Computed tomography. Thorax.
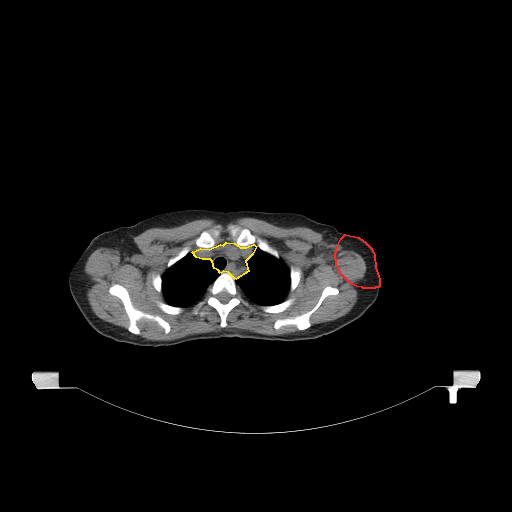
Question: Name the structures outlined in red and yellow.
Answer: red: left arm; yellow: mediastinum.
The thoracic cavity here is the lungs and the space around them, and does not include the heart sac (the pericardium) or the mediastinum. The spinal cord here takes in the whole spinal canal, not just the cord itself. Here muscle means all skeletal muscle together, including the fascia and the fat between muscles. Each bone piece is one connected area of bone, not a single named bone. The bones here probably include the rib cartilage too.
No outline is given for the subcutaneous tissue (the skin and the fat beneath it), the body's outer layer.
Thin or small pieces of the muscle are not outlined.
The left arm is outlined by [[345,234],[358,237],[364,241],[371,248],[374,255],[375,267],[379,279],[379,286],[378,287],[375,287],[374,288],[363,288],[362,287],[356,286],[350,283],[341,274],[336,263],[336,260],[335,259],[335,252],[336,251],[336,248],[341,238]]. The mediastinum is outlined by [[226,242],[234,243],[240,247],[246,247],[253,244],[256,246],[252,254],[245,261],[248,271],[235,279],[228,272],[223,271],[220,273],[218,270],[214,268],[212,261],[210,259],[202,259],[196,257],[192,252],[200,248],[209,249],[220,244],[223,245]]. The right arm is outlined by [[115,228],[116,228],[120,232],[123,239],[123,242],[124,243],[124,259],[123,260],[123,263],[118,272],[112,278],[102,282],[78,282],[70,279],[68,277],[68,275],[72,266],[82,254],[83,251],[89,242],[99,233],[101,233],[104,231],[111,230]]. The bones appear in 10 outlined pieces: piece 1: [[223,272],[233,277],[243,298],[248,303],[247,305],[240,303],[230,310],[226,317],[227,324],[225,327],[220,326],[221,319],[218,312],[207,304],[204,304],[200,308],[200,310],[204,312],[203,314],[194,314],[192,312],[192,308],[204,297],[209,286]]; inner edge: [[222,291],[225,291],[226,292],[227,292],[229,294],[230,294],[231,295],[231,297],[229,299],[229,300],[227,302],[226,302],[225,303],[224,303],[223,302],[221,302],[217,298],[217,297],[216,296],[216,295],[217,294],[218,294],[220,292],[221,292]]; piece 2: [[113,283],[120,284],[127,290],[135,308],[150,314],[158,315],[165,320],[170,326],[169,332],[165,333],[164,329],[155,321],[145,318],[138,320],[136,323],[140,330],[139,334],[130,332],[128,330],[129,318],[122,301],[109,292],[109,287]]; piece 3: [[326,286],[336,287],[338,289],[338,293],[335,295],[328,295],[322,301],[318,308],[310,315],[309,321],[311,325],[308,328],[299,330],[291,324],[283,325],[278,329],[274,328],[274,323],[277,319],[300,315],[310,310],[316,304],[321,295],[322,290]]; piece 4: [[229,225],[237,225],[241,228],[247,228],[249,229],[253,234],[265,240],[270,246],[273,247],[277,251],[279,257],[276,257],[262,250],[257,246],[256,243],[249,244],[246,246],[240,246],[236,244],[234,238],[229,233],[228,230],[228,226]]; piece 5: [[217,226],[219,226],[219,227],[220,228],[220,234],[215,238],[215,244],[212,247],[210,247],[209,248],[204,248],[203,247],[199,247],[198,246],[197,246],[195,244],[195,243],[194,242],[195,239],[204,230],[210,230],[211,229],[212,229]]; piece 6: [[289,298],[294,298],[294,300],[292,304],[286,309],[285,309],[281,312],[278,312],[277,313],[273,313],[272,312],[266,312],[262,310],[261,308],[261,306],[269,306],[270,305],[275,305],[276,304],[278,304],[284,301],[286,299],[288,299]]; piece 7: [[291,266],[294,266],[295,267],[297,267],[301,271],[301,273],[300,274],[300,279],[299,280],[299,282],[298,283],[298,284],[296,286],[296,287],[292,291],[291,291],[290,290],[290,282],[291,281],[290,280],[290,268],[291,267]]; piece 8: [[158,301],[161,301],[162,302],[165,302],[167,304],[168,304],[169,305],[170,305],[171,306],[176,306],[177,307],[182,307],[183,308],[183,310],[180,313],[179,313],[178,314],[169,314],[168,313],[166,313],[165,312],[164,312],[157,305],[157,302]]; piece 9: [[185,246],[189,246],[190,247],[190,250],[189,251],[189,252],[188,252],[183,257],[182,257],[180,259],[179,259],[177,261],[176,261],[172,265],[171,265],[169,267],[167,267],[167,263],[168,262],[169,259],[170,258],[171,258],[172,257],[175,256]]; piece 10: [[156,274],[159,274],[161,276],[161,292],[158,292],[155,289],[155,288],[154,287],[154,286],[153,285],[153,284],[152,283],[152,279],[153,278],[153,277]]. The spinal cord is outlined by [[222,291],[225,291],[226,292],[227,292],[229,294],[230,294],[231,295],[231,297],[229,299],[229,300],[227,302],[226,302],[225,303],[224,303],[223,302],[221,302],[217,298],[217,297],[216,296],[216,295],[217,294],[218,294],[220,292],[221,292]]. The muscle is outlined by [[243,217],[281,227],[304,226],[321,233],[329,245],[358,253],[366,271],[357,285],[358,299],[346,314],[311,324],[311,315],[323,301],[339,293],[336,286],[326,285],[310,309],[274,321],[275,330],[291,325],[298,331],[270,335],[225,328],[231,310],[249,304],[243,295],[266,313],[286,310],[295,300],[286,298],[287,294],[297,287],[302,273],[297,266],[289,268],[265,239],[237,224],[227,226],[234,242],[215,246],[220,226],[204,229],[193,241],[199,248],[191,252],[191,247],[185,245],[168,259],[164,272],[151,279],[154,289],[163,294],[164,301],[158,300],[156,305],[164,313],[178,315],[195,304],[191,312],[203,315],[201,308],[207,305],[217,312],[223,328],[220,330],[170,340],[146,339],[138,335],[138,321],[155,322],[165,334],[170,332],[170,324],[158,314],[135,307],[128,290],[117,282],[108,287],[108,292],[121,301],[128,318],[127,330],[92,311],[86,296],[88,278],[84,268],[96,249],[117,249],[122,258],[130,257],[139,252],[133,237],[149,228],[174,227],[203,218],[225,224]]. The torso is outlined by [[198,208],[296,212],[334,226],[344,233],[334,252],[340,274],[356,287],[379,287],[377,298],[351,323],[314,339],[222,337],[153,347],[119,342],[100,334],[77,307],[68,278],[78,283],[102,283],[112,279],[125,259],[125,243],[118,227],[164,212]]. The thoracic cavity appears in 2 outlined pieces: piece 1: [[257,247],[262,251],[276,258],[280,258],[289,269],[289,280],[290,281],[289,282],[289,291],[286,294],[285,299],[278,303],[269,305],[260,305],[255,303],[245,297],[236,283],[235,280],[237,278],[246,274],[249,271],[246,264],[246,261],[253,254]]; piece 2: [[190,252],[192,253],[196,258],[202,260],[210,260],[213,268],[218,271],[219,274],[208,286],[203,297],[197,302],[184,307],[182,306],[177,306],[176,305],[171,305],[165,301],[165,297],[162,292],[162,275],[168,268],[172,266],[176,262],[183,258]].